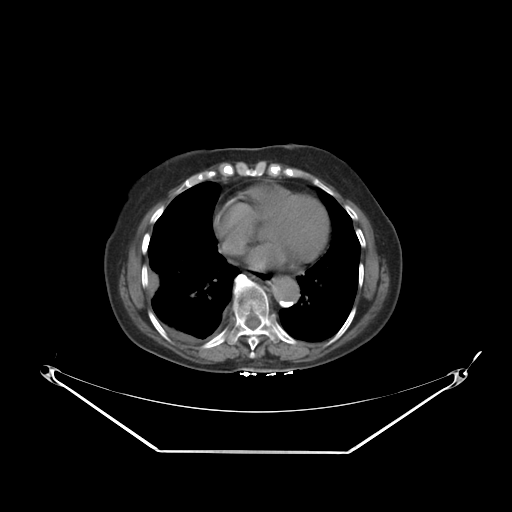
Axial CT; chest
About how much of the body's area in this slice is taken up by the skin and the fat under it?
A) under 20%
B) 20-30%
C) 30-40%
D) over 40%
Answer: B) 20-30%
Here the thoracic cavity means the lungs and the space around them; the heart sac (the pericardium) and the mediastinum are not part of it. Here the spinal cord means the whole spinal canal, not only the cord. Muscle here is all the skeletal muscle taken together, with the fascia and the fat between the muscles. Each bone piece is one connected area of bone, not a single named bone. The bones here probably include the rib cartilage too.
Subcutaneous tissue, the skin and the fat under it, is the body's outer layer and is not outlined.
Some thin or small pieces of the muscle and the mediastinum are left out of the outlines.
{"muscle":[[[318,178],[351,200],[367,217],[377,253],[386,257],[388,292],[381,308],[366,327],[325,355],[310,361],[284,363],[254,359],[261,335],[273,343],[282,341],[295,345],[297,340],[327,340],[325,345],[329,346],[348,329],[356,314],[357,308],[353,305],[357,290],[364,282],[364,264],[360,261],[360,254],[361,248],[366,246],[366,239],[359,227],[354,228],[353,221],[358,219],[356,211],[347,203],[342,205],[335,192]],[[181,183],[171,201],[166,206],[161,204],[152,213],[149,218],[149,223],[153,225],[151,234],[147,231],[141,239],[140,249],[145,255],[146,264],[141,266],[140,281],[142,287],[146,288],[151,308],[147,310],[147,316],[169,343],[173,340],[182,345],[209,349],[224,342],[232,345],[241,336],[246,336],[249,358],[217,364],[184,358],[144,334],[130,318],[120,297],[118,282],[122,263],[127,261],[141,220],[170,189]],[[237,161],[241,161],[238,161],[234,165],[231,163],[226,162],[222,164],[220,166],[218,170],[215,170],[214,169],[210,169],[209,170],[204,170],[203,171],[201,171],[213,165],[215,165],[216,164],[218,164],[222,162],[230,162],[231,163],[233,163]]],"torso":[[[284,142],[317,146],[347,162],[359,174],[393,223],[401,244],[403,271],[398,301],[390,319],[373,338],[351,353],[329,363],[291,373],[199,371],[170,362],[138,347],[124,334],[114,317],[103,274],[105,243],[130,185],[163,160],[188,150],[254,148]]],"mediastinum":[[[225,257],[232,264],[248,270],[257,270],[264,272],[286,274],[290,276],[297,276],[295,279],[299,287],[300,294],[297,302],[289,307],[282,307],[278,311],[277,314],[274,311],[272,311],[268,294],[264,288],[247,275],[240,272],[239,268],[228,262]],[[236,174],[247,177],[259,177],[266,174],[274,178],[281,176],[301,178],[309,181],[315,186],[317,192],[312,187],[296,180],[286,178],[271,179],[264,177],[238,181],[228,187],[219,196],[221,190],[220,185],[215,181],[208,180],[218,177],[231,177]]],"thoracic_cavity":[[[205,181],[215,182],[220,187],[212,214],[212,229],[216,238],[216,249],[228,263],[238,268],[239,273],[232,281],[231,314],[227,323],[218,333],[201,345],[195,346],[182,344],[171,339],[153,311],[147,291],[146,254],[153,226],[166,207],[177,195]],[[318,188],[334,197],[352,220],[360,246],[360,253],[357,289],[352,307],[345,320],[328,339],[306,341],[296,339],[289,334],[279,322],[278,314],[282,308],[289,308],[298,302],[301,294],[296,278],[303,275],[326,252],[332,238],[331,219],[318,196]]],"bones":[{"outer":[[240,273],[263,288],[271,311],[277,315],[282,328],[297,341],[295,344],[282,340],[273,342],[261,334],[253,350],[253,358],[249,357],[251,349],[246,335],[241,335],[232,344],[224,341],[209,348],[201,348],[228,323],[232,314],[233,281]],"hole":[[251,314],[252,314],[253,315],[255,315],[259,319],[259,321],[260,322],[259,323],[259,324],[255,328],[250,328],[245,323],[245,322],[246,321],[246,320],[247,319],[247,317],[249,315],[250,315]]},[[260,161],[278,164],[283,169],[299,169],[311,177],[316,177],[335,196],[317,187],[308,178],[282,174],[274,177],[266,173],[259,176],[236,173],[222,176],[218,173],[175,194],[187,178],[199,172],[218,171],[226,163],[234,166],[238,162],[253,168]],[[353,306],[354,306],[356,308],[356,311],[353,317],[353,319],[351,323],[347,328],[347,329],[335,341],[334,341],[329,345],[326,345],[326,343],[327,341],[330,338],[331,338],[340,329],[340,328],[346,320],[348,315],[350,313]],[[148,310],[152,310],[152,311],[154,313],[155,316],[159,321],[161,326],[165,330],[166,333],[168,335],[168,337],[172,341],[172,342],[169,342],[167,340],[166,340],[158,332],[158,331],[154,327],[154,326],[152,324],[152,323],[148,316]],[[147,232],[150,234],[150,239],[149,240],[149,243],[148,244],[148,246],[147,247],[147,252],[145,254],[143,254],[142,253],[142,250],[141,249],[141,245],[142,244],[142,239],[143,238],[143,236],[144,235],[144,234]],[[161,205],[163,205],[165,207],[165,208],[164,209],[163,212],[161,214],[161,215],[156,220],[156,221],[153,224],[150,223],[150,218],[151,217],[151,216],[153,214],[153,213],[156,210],[156,209],[157,208],[158,208]],[[144,264],[145,264],[146,265],[146,273],[147,274],[147,285],[146,286],[146,287],[145,287],[144,288],[143,287],[143,286],[142,285],[142,282],[141,281],[141,269],[142,268],[142,266]],[[356,228],[359,228],[361,230],[361,231],[362,232],[362,233],[364,236],[364,238],[365,239],[365,246],[363,248],[362,247],[361,247],[361,246],[360,245],[360,243],[359,242],[359,240],[358,239],[358,238],[356,235],[356,233],[355,232],[355,229]],[[345,204],[347,204],[348,205],[349,205],[355,211],[355,212],[356,213],[356,214],[357,215],[357,219],[356,220],[353,220],[350,217],[350,216],[348,214],[348,213],[346,211],[346,210],[343,207],[343,206]],[[360,262],[361,262],[363,264],[363,282],[362,283],[362,285],[361,286],[361,287],[360,288],[359,288],[358,287],[358,277],[359,276],[359,263]]],"spinal_cord":[[[251,314],[252,314],[253,315],[255,315],[259,319],[259,321],[260,322],[259,323],[259,324],[255,328],[250,328],[245,323],[245,322],[246,321],[246,320],[247,319],[247,317],[249,315],[250,315]]],"pericardium":[[[264,178],[271,180],[292,180],[312,188],[317,193],[317,196],[325,207],[329,216],[331,233],[327,249],[314,263],[312,263],[307,269],[298,275],[248,269],[232,263],[220,251],[220,242],[216,237],[213,229],[213,216],[218,198],[228,188],[238,182]]]}